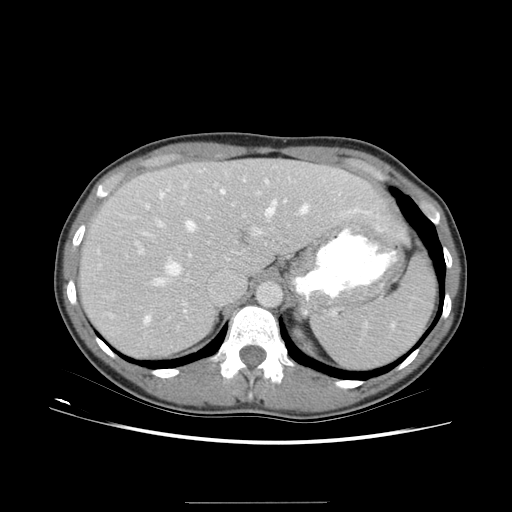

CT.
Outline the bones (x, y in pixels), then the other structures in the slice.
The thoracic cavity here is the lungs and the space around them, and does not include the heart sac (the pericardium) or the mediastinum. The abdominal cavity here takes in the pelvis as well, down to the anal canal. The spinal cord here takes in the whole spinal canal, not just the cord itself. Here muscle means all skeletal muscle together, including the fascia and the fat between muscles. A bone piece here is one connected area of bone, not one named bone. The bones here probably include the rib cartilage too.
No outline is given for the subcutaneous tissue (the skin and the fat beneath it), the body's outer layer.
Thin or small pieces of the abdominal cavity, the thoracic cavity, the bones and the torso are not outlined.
Outlined structures:
bones 1: (250, 385) (259, 374) (273, 382) (280, 383) (283, 376) (283, 366) (296, 364) (287, 353) (275, 317) (268, 310) (256, 305) (243, 306) (234, 313) (220, 347) (214, 354) (207, 357) (208, 360) (220, 362) (220, 372) (224, 378) (231, 378) (241, 371) (247, 376); inner edge: (249, 368) (253, 368) (254, 367) (255, 367) (265, 358) (265, 352) (264, 351) (264, 350) (263, 350) (260, 347) (259, 347) (258, 346) (252, 346) (251, 345) (250, 346) (245, 346) (240, 350) (240, 357) (243, 361) (243, 362) (245, 364) (246, 364)
bones 2: (380, 180) (386, 180) (388, 178) (388, 176) (386, 174) (384, 174) (380, 170) (377, 169) (373, 165) (369, 164) (367, 162) (363, 160) (358, 159) (357, 158) (352, 158) (351, 157) (348, 157) (344, 159) (344, 161) (350, 166) (359, 168) (368, 173) (370, 173) (376, 178)
bones 3: (100, 198) (107, 195) (107, 194) (109, 193) (109, 192) (113, 188) (113, 187) (123, 177) (124, 175) (124, 173) (123, 172) (118, 172) (112, 175) (110, 177) (106, 179) (98, 186) (97, 188) (97, 190) (96, 191) (96, 196)
bones 4: (145, 167) (147, 167) (148, 166) (153, 166) (154, 165) (159, 165) (160, 164) (163, 164) (164, 163) (175, 160) (179, 158) (180, 157) (180, 155) (176, 153) (169, 153) (168, 154) (159, 154) (158, 155) (147, 158) (144, 160) (142, 160) (140, 162) (140, 164)
bones 5: (435, 225) (437, 225) (439, 223) (439, 220) (440, 219) (440, 217) (439, 216) (439, 213) (438, 212) (438, 211) (434, 207) (434, 206) (433, 205) (432, 205) (430, 203) (429, 203) (424, 200) (421, 200) (418, 203) (418, 205) (419, 206) (419, 207) (424, 213) (424, 214)
bones 6: (159, 377) (171, 377) (172, 376) (174, 376) (175, 375) (176, 375) (179, 373) (179, 369) (176, 367) (175, 368) (164, 368) (163, 369) (151, 369) (151, 370) (150, 371) (150, 372) (152, 374) (153, 374) (156, 376) (158, 376)
bones 7: (341, 388) (352, 388) (353, 387) (356, 387) (357, 386) (358, 386) (359, 385) (360, 385) (361, 384) (362, 384) (365, 381) (364, 380) (344, 380) (343, 379) (337, 379) (334, 382) (334, 383) (335, 384) (335, 385) (336, 385) (337, 386) (338, 386) (339, 387) (340, 387)
bones 8: (396, 370) (399, 370) (400, 369) (403, 368) (405, 366) (406, 366) (409, 363) (410, 363) (414, 359) (414, 358) (416, 356) (417, 353) (419, 351) (419, 346) (418, 347) (417, 347) (415, 349) (414, 349) (396, 367) (395, 367) (395, 369)
bones 9: (113, 358) (116, 357) (116, 356) (117, 355) (109, 347) (109, 346) (103, 340) (102, 340) (98, 336) (97, 336) (96, 335) (95, 336) (95, 339) (96, 340) (97, 343) (99, 345) (99, 346) (108, 355) (109, 355) (111, 357) (112, 357)
mediastinum: (278, 321) (278, 319) (282, 314) (282, 308) (286, 299) (286, 291) (283, 284) (279, 279) (273, 276) (267, 276) (256, 286) (252, 293) (239, 305) (239, 308) (242, 307) (243, 305) (245, 305) (246, 304) (256, 304) (262, 307) (264, 307) (271, 311) (276, 317)
abdominal cavity: (350, 371) (371, 370) (405, 353) (437, 310) (433, 262) (390, 190) (399, 188) (349, 166) (271, 152) (143, 168) (100, 200) (78, 246) (76, 289) (88, 321) (112, 347) (144, 360) (196, 351) (228, 324) (265, 276) (273, 275) (287, 291) (280, 318) (293, 343) (308, 357)
muscle: (296, 412) (318, 412) (319, 411) (325, 411) (326, 410) (340, 408) (355, 403) (367, 396) (375, 394) (377, 392) (383, 390) (400, 380) (418, 367) (429, 356) (446, 334) (452, 323) (454, 316) (455, 298) (458, 292) (458, 288) (459, 287) (460, 265) (459, 264) (458, 254) (454, 245) (454, 242) (452, 239) (446, 218) (438, 203) (420, 187) (397, 171) (392, 166) (378, 157) (364, 151) (356, 150) (351, 148) (337, 147) (336, 146) (330, 147) (329, 146) (314, 146) (310, 145) (309, 146) (289, 146) (284, 148) (274, 148) (269, 146) (249, 146) (248, 147) (247, 146) (238, 146) (224, 143) (205, 142) (204, 141) (178, 142) (159, 147) (143, 155) (132, 158) (106, 173) (93, 186) (91, 191) (79, 210) (70, 228) (63, 250) (63, 259) (62, 260) (62, 278) (63, 279) (62, 282) (62, 293) (63, 294) (63, 300) (66, 308) (66, 311) (76, 331) (85, 344) (96, 356) (124, 377) (142, 388) (146, 392) (158, 398) (167, 401) (174, 402) (178, 404) (193, 405) (200, 407) (207, 405) (233, 406) (244, 402) (247, 402) (248, 403) (253, 403) (262, 407) (270, 409) (294, 410), around a hole outlined by (341, 388) (356, 387) (370, 376) (406, 366) (437, 320) (449, 314) (451, 299) (444, 290) (444, 280) (452, 259) (439, 242) (435, 226) (440, 217) (433, 205) (424, 200) (417, 205) (387, 182) (386, 174) (363, 160) (348, 157) (344, 161) (349, 165) (343, 166) (277, 152) (216, 160) (178, 160) (176, 153) (159, 154) (142, 160) (140, 164) (145, 167) (141, 170) (125, 177) (118, 172) (98, 186) (96, 196) (101, 199) (88, 224) (79, 226) (72, 239) (78, 247) (76, 282) (68, 281) (67, 296) (72, 304) (79, 302) (97, 343) (108, 355) (148, 367) (159, 377) (174, 376) (179, 373) (177, 366) (206, 357) (220, 362) (224, 378) (241, 371) (250, 385) (259, 374) (280, 383) (283, 366) (298, 362) (337, 377) (334, 383)
torso: (289, 422) (341, 418) (381, 405) (378, 403) (417, 379) (450, 341) (465, 307) (467, 260) (445, 201) (385, 149) (345, 136) (238, 131) (179, 134) (145, 143) (106, 165) (92, 177) (70, 210) (55, 251) (55, 302) (77, 347) (102, 375) (142, 404) (194, 417) (262, 417)
thoracic cavity 1: (344, 379) (366, 379) (396, 366) (421, 343) (440, 316) (446, 268) (435, 226) (408, 195) (396, 188) (391, 190) (404, 215) (428, 248) (440, 288) (438, 310) (420, 339) (405, 354) (385, 366) (371, 371) (350, 372) (308, 358) (292, 343) (279, 320) (281, 335) (294, 360)
thoracic cavity 2: (149, 368) (175, 367) (202, 357) (206, 357) (214, 353) (224, 338) (227, 326) (226, 325) (223, 326) (216, 337) (203, 348) (191, 354) (188, 354) (180, 358) (176, 358) (172, 360) (158, 360) (157, 361) (135, 360) (133, 358) (118, 352) (110, 346) (119, 356) (127, 361)
spinal cord: (249, 368) (253, 368) (254, 367) (255, 367) (265, 358) (265, 352) (264, 351) (264, 350) (263, 350) (260, 347) (259, 347) (258, 346) (252, 346) (251, 345) (250, 346) (245, 346) (240, 350) (240, 357) (243, 361) (243, 362) (245, 364) (246, 364)